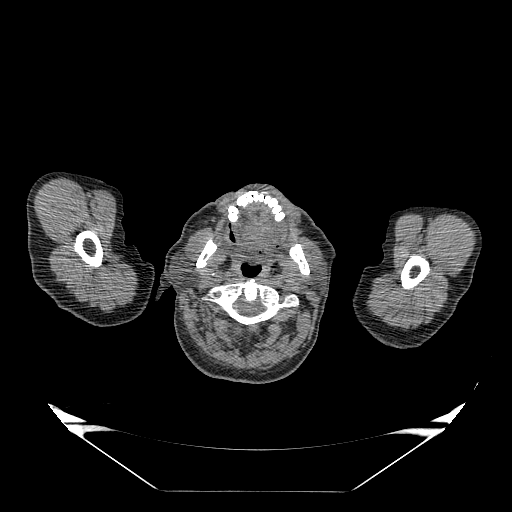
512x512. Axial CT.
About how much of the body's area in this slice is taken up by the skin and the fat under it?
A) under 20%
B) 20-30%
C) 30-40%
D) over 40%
B) 20-30%
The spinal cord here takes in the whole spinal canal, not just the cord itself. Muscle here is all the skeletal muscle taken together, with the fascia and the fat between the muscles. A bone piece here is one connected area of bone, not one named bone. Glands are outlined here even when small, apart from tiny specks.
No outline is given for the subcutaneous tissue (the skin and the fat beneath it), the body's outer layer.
{"bones":[{"outer":[[248,278],[254,278],[256,282],[276,289],[282,298],[291,293],[295,294],[299,299],[298,305],[279,309],[277,313],[268,320],[258,323],[255,329],[250,325],[242,325],[236,322],[229,317],[218,304],[208,300],[203,300],[201,297],[213,286],[243,282]],"hole":[[240,299],[244,302],[248,302],[249,303],[250,303],[251,302],[258,299],[259,300],[260,303],[265,308],[259,313],[258,313],[257,314],[255,314],[254,315],[245,315],[244,314],[241,314],[239,312],[239,311],[235,304],[236,303],[236,302]]},[[85,229],[95,230],[100,240],[100,243],[103,249],[103,256],[102,257],[102,262],[101,263],[101,265],[100,265],[98,267],[92,267],[87,263],[83,261],[81,257],[73,249],[73,246],[74,245],[75,236],[76,234],[81,230],[84,230]],[[250,190],[255,190],[258,192],[264,191],[270,196],[276,198],[284,213],[284,217],[280,221],[277,221],[272,212],[272,209],[267,204],[261,201],[253,201],[245,206],[238,206],[237,219],[231,222],[228,217],[229,205],[234,205],[239,195],[245,191]],[[413,253],[419,253],[420,254],[422,254],[428,260],[429,264],[430,265],[430,269],[429,270],[428,274],[417,285],[416,285],[412,289],[404,289],[402,287],[401,285],[401,282],[400,281],[400,272],[403,268],[403,266],[408,259],[409,256]],[[295,243],[299,243],[301,244],[302,246],[302,249],[303,250],[303,252],[305,256],[305,258],[309,265],[309,270],[310,271],[309,272],[309,274],[307,276],[306,275],[303,275],[301,274],[299,270],[298,265],[291,258],[289,254],[289,249],[290,247]],[[209,238],[211,238],[217,244],[217,248],[215,250],[215,251],[207,259],[205,265],[203,267],[202,267],[199,269],[197,269],[195,266],[195,263],[196,262],[196,260],[197,259],[199,254],[201,252],[201,250],[203,248],[203,247],[204,246],[206,241]]],"head_and_neck":[{"outer":[[254,182],[275,186],[294,204],[305,210],[324,232],[336,254],[331,268],[328,296],[312,349],[292,373],[265,383],[214,378],[201,372],[187,358],[176,337],[173,323],[175,290],[169,286],[157,300],[154,299],[165,255],[180,236],[189,216],[220,195]],"hole":[[244,263],[245,263],[250,266],[255,266],[256,265],[259,265],[261,267],[260,268],[259,271],[255,275],[254,275],[253,276],[253,277],[249,277],[246,275],[244,275],[244,274],[242,272],[242,269],[241,268],[241,266],[242,265],[242,264],[243,264]]}],"parotid_glands":[[[176,252],[181,252],[183,253],[186,259],[188,261],[194,264],[194,266],[192,268],[191,272],[186,278],[185,281],[184,281],[182,284],[178,283],[177,280],[176,279],[174,279],[174,278],[172,277],[172,274],[170,272],[170,265],[172,261],[172,257]],[[315,254],[320,254],[325,259],[325,261],[326,262],[326,275],[325,276],[325,285],[324,286],[324,289],[322,293],[320,293],[319,294],[319,297],[319,293],[316,291],[314,288],[314,285],[313,284],[313,269],[312,268],[312,258],[313,257],[313,255]]],"left_arm":[[[415,205],[445,206],[467,212],[478,223],[482,232],[483,243],[471,284],[460,299],[453,315],[420,346],[399,349],[382,344],[360,325],[354,315],[351,299],[363,268],[366,265],[377,264],[382,260],[383,252],[381,245],[385,239],[389,216],[397,210]]],"muscle":[{"outer":[[257,186],[276,192],[300,213],[304,224],[312,236],[318,241],[324,256],[320,253],[315,253],[311,258],[312,284],[319,298],[314,328],[309,340],[305,347],[287,364],[261,374],[214,367],[198,356],[184,333],[184,325],[180,318],[181,288],[194,267],[199,270],[206,265],[208,259],[218,248],[218,244],[209,237],[205,241],[194,263],[188,260],[183,252],[178,251],[186,243],[191,228],[198,218],[211,211],[224,198]],"holes":[[[244,263],[259,265],[259,271],[253,276],[255,281],[276,289],[282,298],[295,294],[299,299],[298,305],[279,309],[275,315],[258,323],[253,329],[250,325],[236,322],[215,302],[203,300],[201,297],[213,286],[247,280],[249,277],[244,275],[241,268]],[[250,190],[255,190],[258,192],[264,191],[270,196],[276,198],[284,213],[284,217],[280,221],[277,221],[272,212],[272,209],[267,204],[261,201],[253,201],[245,206],[238,206],[237,219],[231,222],[228,217],[229,205],[234,205],[239,195],[245,191]],[[295,243],[299,243],[301,244],[302,246],[302,249],[303,250],[303,252],[305,256],[305,258],[309,265],[309,270],[310,271],[309,272],[309,274],[307,276],[306,275],[303,275],[301,274],[299,270],[298,265],[291,258],[289,254],[289,249],[290,247]]]},{"outer":[[57,177],[72,179],[86,188],[108,190],[116,199],[113,246],[116,251],[133,265],[140,279],[139,289],[133,301],[122,310],[105,313],[92,309],[72,298],[52,277],[48,261],[45,258],[47,254],[46,238],[35,214],[33,200],[36,191],[43,183]],"hole":[[85,229],[95,230],[100,240],[100,243],[103,249],[103,256],[102,257],[102,262],[101,263],[101,265],[100,265],[98,267],[92,267],[87,263],[83,261],[81,257],[73,249],[73,246],[74,245],[75,236],[76,234],[81,230],[84,230]]},{"outer":[[408,212],[455,214],[462,217],[471,224],[475,230],[476,241],[471,255],[454,282],[445,307],[434,317],[430,323],[419,328],[403,330],[389,326],[371,315],[366,310],[364,299],[370,280],[389,268],[392,260],[391,249],[394,239],[395,221],[400,215]],"hole":[[413,253],[419,253],[420,254],[422,254],[428,260],[429,264],[430,265],[430,269],[429,270],[428,274],[417,285],[416,285],[412,289],[404,289],[402,287],[401,285],[401,282],[400,281],[400,272],[403,268],[403,266],[408,259],[409,256]]}],"spinal_cord":[[[240,299],[244,302],[248,302],[249,303],[250,303],[251,302],[258,299],[259,300],[260,303],[265,308],[259,313],[258,313],[257,314],[255,314],[254,315],[245,315],[244,314],[241,314],[239,312],[239,311],[235,304],[236,303],[236,302]]],"right_arm":[[[55,170],[95,177],[113,185],[121,192],[124,211],[121,222],[125,233],[124,242],[128,246],[135,245],[141,258],[151,262],[155,268],[149,301],[144,311],[135,319],[108,327],[92,325],[58,307],[35,283],[27,250],[26,198],[30,187],[39,176]]]}